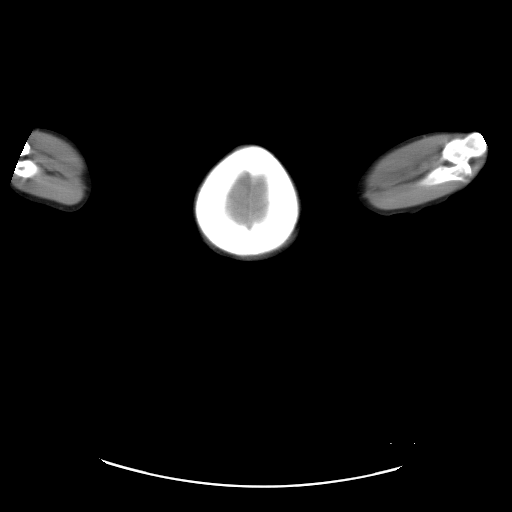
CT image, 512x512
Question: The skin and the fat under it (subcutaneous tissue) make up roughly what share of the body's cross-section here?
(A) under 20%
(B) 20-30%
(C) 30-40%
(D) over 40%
Answer: (A) under 20%
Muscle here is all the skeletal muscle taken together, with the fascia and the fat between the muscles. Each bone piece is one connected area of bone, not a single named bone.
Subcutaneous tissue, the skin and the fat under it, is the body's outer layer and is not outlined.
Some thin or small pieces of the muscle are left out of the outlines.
Outlined structures:
muscle 1: [[456,133],[468,133],[463,137],[453,137],[443,145],[439,160],[449,164],[435,166],[417,184],[428,187],[450,181],[462,182],[470,177],[460,187],[421,204],[393,209],[376,207],[365,196],[363,185],[366,178],[375,164],[385,155],[427,136]]
muscle 2: [[36,131],[49,133],[64,140],[80,156],[84,167],[86,188],[83,197],[78,202],[63,204],[38,197],[18,189],[11,181],[13,175],[27,179],[32,178],[40,172],[40,167],[32,159],[26,157],[20,158],[30,153],[31,147],[27,141],[31,132]]
muscle 3: [[485,154],[485,155],[484,156],[484,157],[482,160],[482,162],[481,163],[481,164],[480,165],[479,168],[477,170],[477,171],[473,175],[473,166],[472,165],[472,160],[473,160],[474,159],[476,159],[477,158],[479,158],[480,157],[483,156]]
muscle 4: [[295,230],[295,233],[294,234],[294,235],[293,236],[293,237],[292,238],[292,239],[287,244],[286,244],[284,246],[283,246],[287,242],[287,241],[291,237],[291,236],[292,235],[292,234],[294,232],[294,231]]
left arm: [[454,129],[478,130],[485,136],[489,143],[489,157],[484,169],[479,176],[464,190],[438,205],[421,210],[414,214],[398,213],[389,216],[383,216],[366,209],[356,199],[353,193],[353,187],[356,180],[370,161],[380,152],[406,138],[417,134],[434,130]]
head: [[242,142],[259,143],[273,150],[279,156],[295,180],[301,196],[301,233],[295,244],[289,250],[279,257],[269,261],[257,263],[234,263],[227,259],[214,255],[202,244],[198,238],[192,221],[192,199],[200,180],[206,172],[228,150],[234,145]]
brain: [[245,173],[247,173],[251,178],[253,178],[254,179],[255,178],[262,178],[265,186],[265,208],[264,209],[263,215],[258,219],[255,219],[249,226],[245,223],[237,221],[234,219],[228,210],[228,198],[229,197],[229,194],[233,186],[236,183],[238,179]]
right arm: [[36,126],[46,127],[57,130],[69,136],[84,151],[89,162],[93,185],[89,199],[85,205],[80,209],[72,212],[60,211],[45,205],[29,201],[16,194],[10,189],[10,182],[14,174],[15,166],[18,160],[20,159],[21,152],[23,150],[33,128]]
bones 1: [[247,144],[257,144],[263,146],[271,151],[281,161],[291,176],[297,190],[300,203],[300,215],[295,229],[290,237],[281,247],[271,252],[260,255],[239,256],[228,253],[217,248],[202,235],[194,218],[193,204],[198,187],[208,171],[226,154],[239,146]], around a hole outlined by [[245,173],[247,173],[251,178],[253,178],[254,179],[255,178],[262,178],[265,186],[265,208],[264,209],[263,215],[258,219],[255,219],[249,226],[245,223],[237,221],[234,219],[228,210],[228,198],[229,197],[229,194],[233,186],[236,183],[238,179]]
bones 2: [[476,131],[479,132],[484,138],[487,149],[483,155],[471,160],[472,176],[467,176],[466,180],[462,181],[450,180],[428,186],[418,184],[418,182],[435,167],[439,165],[450,164],[446,161],[440,160],[442,149],[448,141],[453,138],[463,138],[467,134]]
bones 3: [[25,158],[32,160],[39,167],[40,169],[39,172],[37,174],[34,175],[32,177],[28,177],[27,178],[25,178],[24,177],[22,177],[18,175],[14,175],[14,169],[15,168],[15,166],[18,160],[20,159],[24,159]]
bones 4: [[26,142],[28,142],[28,143],[29,144],[29,146],[30,147],[30,150],[29,151],[29,153],[28,154],[27,154],[26,155],[25,155],[22,157],[21,156],[20,156],[20,155],[21,154],[21,152],[23,150],[23,149],[25,146],[25,144],[26,143]]